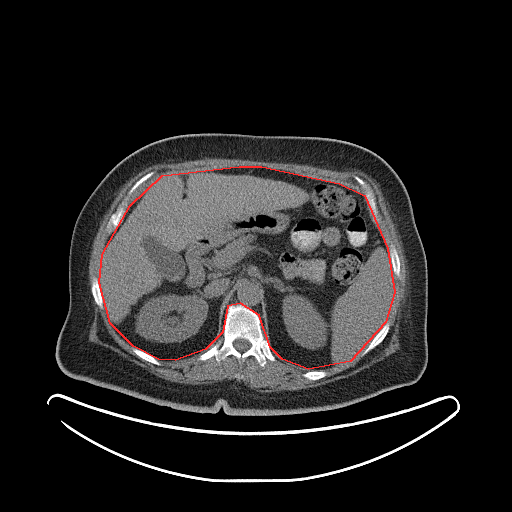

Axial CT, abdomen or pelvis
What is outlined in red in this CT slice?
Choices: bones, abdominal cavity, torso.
red: abdominal cavity.
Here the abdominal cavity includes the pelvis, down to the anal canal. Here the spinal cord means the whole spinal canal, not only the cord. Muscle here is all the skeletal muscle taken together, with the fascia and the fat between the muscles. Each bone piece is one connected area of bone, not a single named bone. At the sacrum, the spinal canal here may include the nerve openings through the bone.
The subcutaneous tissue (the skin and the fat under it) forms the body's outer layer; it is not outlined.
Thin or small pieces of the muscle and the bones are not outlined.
Outlines:
abdominal cavity: (239, 166) (261, 166) (339, 183) (364, 195) (387, 248) (394, 292) (385, 322) (350, 361) (308, 369) (282, 359) (270, 347) (259, 315) (240, 303) (227, 306) (222, 332) (205, 349) (175, 360) (158, 359) (133, 346) (110, 323) (99, 282) (102, 254) (130, 205) (162, 175)
muscle 1: (206, 157) (210, 158) (229, 158) (230, 159) (249, 159) (250, 160) (261, 160) (269, 162) (306, 164) (307, 165) (311, 165) (332, 170) (341, 170) (344, 168) (354, 168) (360, 170) (371, 176) (379, 184) (379, 187) (389, 208) (391, 217) (395, 223) (396, 229) (399, 235) (399, 238) (402, 243) (403, 252) (406, 259) (408, 287) (407, 288) (407, 293) (405, 295) (405, 298) (401, 308) (401, 316) (399, 321) (399, 332) (398, 333) (398, 338) (400, 344) (399, 349) (382, 360) (374, 363) (369, 367) (365, 368) (353, 375) (341, 378) (331, 382) (328, 382) (319, 386) (299, 389) (298, 390) (282, 390) (277, 392) (260, 392) (255, 389) (252, 389) (242, 382) (238, 382) (234, 379) (232, 380) (225, 379) (222, 381) (218, 381) (211, 384) (197, 384) (196, 385) (172, 382) (149, 372) (141, 366) (139, 366) (122, 357) (113, 350) (90, 341) (88, 339) (88, 335) (90, 327) (92, 324) (94, 311) (91, 302) (90, 288) (88, 284) (89, 259) (92, 250) (93, 240) (98, 230) (100, 222) (114, 199) (116, 193) (130, 178) (143, 169) (151, 165) (162, 162) (181, 162) (187, 160) (197, 160), around a hole outlined by (239, 166) (339, 183) (364, 195) (353, 176) (361, 178) (375, 196) (380, 217) (375, 226) (385, 246) (391, 243) (397, 251) (400, 277) (393, 275) (387, 334) (364, 355) (326, 368) (322, 378) (304, 377) (309, 369) (282, 359) (271, 347) (275, 360) (264, 366) (253, 356) (240, 362) (231, 354) (218, 362) (214, 356) (199, 360) (199, 353) (154, 364) (133, 352) (92, 295) (110, 236) (106, 225) (136, 181) (154, 174) (133, 192) (127, 210) (162, 175)
muscle 2: (218, 334) (219, 335) (220, 334) (221, 334) (222, 335) (222, 337) (221, 338) (218, 339) (217, 340) (217, 341) (212, 346) (211, 346) (205, 351) (202, 352) (209, 346) (209, 345) (214, 340) (214, 339) (216, 337) (216, 336) (217, 336) (218, 335)
bones 1: (231, 304) (243, 305) (258, 315) (264, 338) (268, 341) (270, 350) (275, 357) (274, 361) (267, 359) (264, 366) (261, 366) (253, 356) (248, 356) (240, 362) (231, 354) (220, 362) (214, 356) (205, 360) (198, 359) (200, 354) (208, 350) (223, 337) (222, 333) (226, 310); inner edge: (239, 338) (240, 338) (241, 339) (245, 339) (246, 340) (247, 340) (250, 343) (250, 347) (248, 349) (247, 349) (245, 351) (244, 351) (243, 352) (240, 352) (238, 350) (237, 350) (235, 348) (235, 347) (233, 345) (233, 342) (236, 339) (238, 339)
bones 2: (152, 171) (154, 172) (154, 174) (151, 177) (143, 182) (130, 196) (128, 200) (128, 204) (126, 207) (125, 213) (123, 216) (122, 221) (115, 230) (110, 234) (108, 234) (106, 231) (106, 225) (111, 215) (116, 211) (122, 200) (127, 195) (129, 189) (134, 183) (141, 177)
bones 3: (354, 175) (361, 178) (366, 183) (367, 183) (370, 186) (374, 193) (375, 200) (376, 201) (376, 204) (378, 209) (378, 213) (380, 217) (380, 221) (377, 224) (374, 223) (370, 215) (370, 212) (368, 208) (368, 203) (365, 197) (365, 190) (354, 178) (353, 176)
bones 4: (386, 322) (388, 322) (390, 326) (389, 327) (389, 330) (387, 334) (383, 339) (383, 340) (374, 348) (370, 350) (364, 355) (362, 355) (362, 352) (369, 345) (371, 341) (378, 333) (380, 329)
bones 5: (391, 243) (395, 246) (395, 248) (397, 251) (397, 253) (399, 257) (399, 262) (400, 263) (400, 277) (397, 277) (394, 274) (394, 272) (393, 271) (393, 268) (392, 267) (392, 262) (391, 261) (391, 259) (390, 258) (390, 255) (388, 251) (388, 246)
bones 6: (94, 277) (96, 277) (97, 278) (98, 280) (98, 282) (99, 283) (99, 289) (100, 290) (100, 292) (101, 293) (101, 297) (103, 301) (103, 308) (102, 309) (100, 308) (95, 302) (94, 300) (94, 298) (91, 292) (91, 285) (92, 284) (92, 279)
bones 7: (133, 347) (135, 347) (140, 350) (142, 350) (144, 352) (145, 352) (146, 353) (153, 356) (155, 358) (156, 358) (160, 362) (160, 365) (157, 365) (156, 364) (154, 364) (151, 362) (146, 361) (145, 360) (140, 358) (133, 352) (133, 350) (132, 349) (133, 348)
bones 8: (310, 370) (325, 370) (327, 372) (327, 375) (326, 376) (325, 376) (322, 378) (320, 378) (319, 379) (317, 379) (316, 380) (310, 380) (309, 379) (308, 379) (307, 378) (306, 378) (303, 376) (303, 373) (304, 373) (307, 371) (309, 371)
spinal cord: (239, 338) (240, 338) (241, 339) (245, 339) (246, 340) (247, 340) (250, 343) (250, 347) (248, 349) (247, 349) (245, 351) (244, 351) (243, 352) (240, 352) (238, 350) (237, 350) (235, 348) (235, 347) (233, 345) (233, 342) (236, 339) (238, 339)
torso: (201, 133) (330, 138) (374, 152) (396, 172) (408, 192) (427, 262) (428, 356) (426, 367) (416, 382) (335, 409) (285, 415) (229, 415) (222, 409) (199, 413) (158, 405) (74, 379) (60, 369) (56, 344) (69, 306) (70, 240) (82, 206) (104, 176) (136, 150) (164, 138)